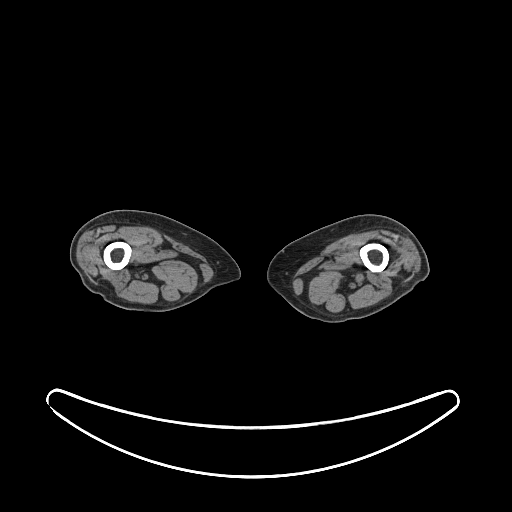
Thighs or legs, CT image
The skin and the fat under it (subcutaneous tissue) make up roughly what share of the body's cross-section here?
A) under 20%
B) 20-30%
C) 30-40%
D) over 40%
C) 30-40%
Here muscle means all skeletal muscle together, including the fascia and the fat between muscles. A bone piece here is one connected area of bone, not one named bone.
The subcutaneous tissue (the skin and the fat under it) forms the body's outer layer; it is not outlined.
The bones appear in 2 outlined pieces: piece 1: 370,242 378,242 379,243 381,243 383,244 387,248 388,250 388,252 389,253 389,260 388,261 388,263 385,267 385,268 382,271 380,272 372,272 366,267 365,267 359,255 359,250 360,248 362,246; piece 2: 114,241 123,241 124,242 126,242 131,247 131,255 130,256 130,258 129,259 129,261 128,263 123,268 119,270 114,270 113,269 111,269 109,268 105,264 103,260 103,250 104,248 107,244 111,242 113,242. The right leg is outlined by 118,209 134,209 159,213 209,236 221,245 236,261 241,271 240,278 237,281 212,289 185,306 166,312 151,313 125,310 106,302 98,294 89,291 82,284 77,272 70,263 69,248 74,234 85,222 103,212. The muscle appears in 2 outlined pieces: piece 1: 108,223 136,223 149,225 184,240 213,260 216,264 215,274 209,282 197,288 186,298 170,304 146,305 124,300 116,296 112,291 108,290 107,288 101,285 93,284 79,266 75,256 78,237 91,226 with a hole at 114,241 123,241 124,242 126,242 131,247 131,255 130,256 130,258 129,259 129,261 128,263 123,268 119,270 114,270 113,269 111,269 109,268 105,264 103,260 103,250 104,248 107,244 111,242 113,242; piece 2: 368,229 394,230 402,233 414,243 421,258 419,271 404,286 395,290 391,295 378,303 345,315 318,313 303,304 294,295 284,280 279,276 278,273 280,271 289,268 296,261 310,255 336,239 350,233 362,232 with a hole at 370,242 378,242 379,243 381,243 383,244 387,248 388,250 388,252 389,253 389,260 388,261 388,263 385,267 385,268 382,271 380,272 372,272 366,267 365,267 359,255 359,250 360,248 362,246. The left leg is outlined by 359,214 385,215 401,222 410,229 421,243 427,255 429,263 429,274 427,278 420,282 411,292 390,306 364,318 352,319 339,323 328,323 304,316 291,307 269,286 266,278 269,262 280,249 291,241 328,224.